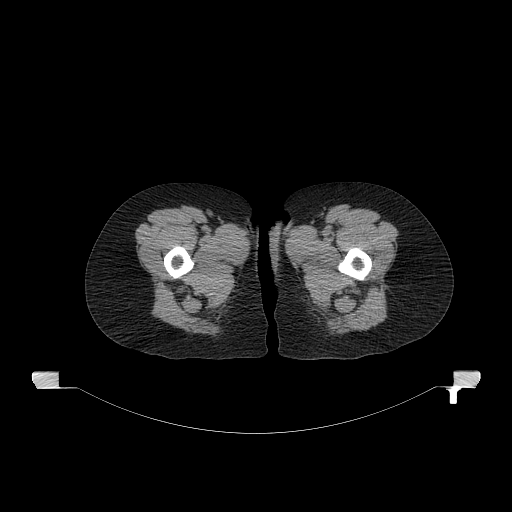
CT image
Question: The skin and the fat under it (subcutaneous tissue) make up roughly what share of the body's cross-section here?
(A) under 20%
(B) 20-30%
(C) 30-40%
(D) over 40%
Answer: (D) over 40%
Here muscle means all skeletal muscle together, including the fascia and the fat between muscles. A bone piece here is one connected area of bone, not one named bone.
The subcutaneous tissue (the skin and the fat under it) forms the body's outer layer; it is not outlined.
{"left_leg":[[[345,180],[391,188],[409,199],[430,221],[447,250],[453,269],[454,287],[449,307],[427,335],[387,353],[356,359],[299,360],[283,357],[277,350],[277,326],[273,316],[277,292],[270,268],[267,231],[276,219],[285,222],[288,219],[282,205],[295,190]]],"right_leg":[[[167,182],[200,182],[220,186],[240,194],[250,204],[253,220],[259,227],[258,274],[268,322],[266,355],[257,358],[231,359],[170,359],[150,355],[114,342],[98,328],[92,319],[85,300],[84,275],[89,254],[101,229],[110,215],[126,199],[145,188]]],"muscle":[{"outer":[[181,204],[207,209],[220,215],[224,220],[239,224],[248,231],[250,238],[249,254],[231,293],[227,311],[222,317],[224,331],[216,336],[188,333],[153,317],[150,313],[154,300],[152,281],[149,273],[139,263],[135,250],[134,230],[150,210]],"hole":[[175,245],[179,245],[180,246],[183,246],[186,249],[186,250],[188,252],[188,253],[190,255],[191,258],[194,262],[194,265],[193,267],[188,272],[183,274],[179,278],[173,278],[167,272],[163,264],[163,257],[164,255],[171,248],[172,248],[173,246]]},{"outer":[[342,203],[353,203],[373,208],[391,221],[399,234],[395,259],[384,277],[387,285],[385,295],[388,317],[366,331],[330,335],[316,324],[316,318],[310,312],[303,288],[300,286],[285,253],[284,243],[289,231],[295,225],[310,223],[328,206]],"hole":[[351,247],[358,247],[360,248],[362,250],[366,252],[371,258],[371,260],[372,261],[372,266],[371,267],[371,269],[368,274],[363,280],[358,280],[357,279],[355,279],[344,273],[340,272],[337,268],[337,265],[339,263],[339,262],[343,259],[348,249]]}],"bones":[[[351,247],[358,247],[360,248],[362,250],[366,252],[371,258],[371,260],[372,261],[372,266],[371,267],[371,269],[368,274],[363,280],[358,280],[357,279],[355,279],[344,273],[340,272],[337,268],[337,265],[339,263],[339,262],[343,259],[348,249]],[[175,245],[179,245],[180,246],[183,246],[186,249],[186,250],[188,252],[188,253],[190,255],[191,258],[194,262],[194,265],[193,267],[188,272],[183,274],[179,278],[173,278],[167,272],[163,264],[163,257],[164,255],[171,248],[172,248],[173,246]]]}